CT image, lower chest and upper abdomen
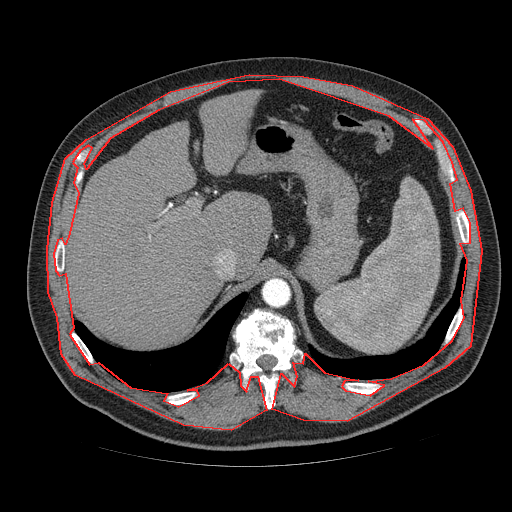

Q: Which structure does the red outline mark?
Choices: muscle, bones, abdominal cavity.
A: red: muscle.
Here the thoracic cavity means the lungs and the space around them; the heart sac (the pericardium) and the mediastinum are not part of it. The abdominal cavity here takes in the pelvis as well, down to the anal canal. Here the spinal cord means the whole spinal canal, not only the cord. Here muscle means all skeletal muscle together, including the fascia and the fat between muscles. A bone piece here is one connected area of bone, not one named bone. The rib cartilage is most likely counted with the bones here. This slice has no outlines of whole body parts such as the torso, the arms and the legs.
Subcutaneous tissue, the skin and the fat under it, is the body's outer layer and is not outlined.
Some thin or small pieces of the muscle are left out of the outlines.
The muscle is outlined by 249 74; 303 76; 352 85; 427 118; 452 146; 470 190; 481 250; 470 346; 444 368; 347 421; 303 420; 272 409; 281 373; 294 386; 297 376; 293 362; 303 363; 305 353; 324 372; 358 380; 344 381; 341 386; 345 390; 370 395; 384 385; 368 381; 391 378; 424 364; 452 340; 464 318; 461 300; 467 260; 460 243; 470 242; 470 222; 463 208; 455 211; 450 183; 457 179; 452 162; 443 142; 424 120; 412 119; 432 148; 389 116; 279 79; 228 82; 158 110; 110 138; 86 169; 84 163; 92 148; 88 145; 80 150; 72 162; 77 167; 73 182; 78 193; 69 233; 65 244; 62 238; 57 240; 53 253; 55 270; 59 275; 65 273; 73 328; 69 334; 89 364; 98 362; 130 387; 167 393; 163 400; 178 406; 199 395; 197 390; 187 390; 207 382; 228 363; 239 372; 240 385; 246 391; 251 376; 257 376; 266 410; 231 430; 183 425; 75 375; 61 354; 57 317; 48 292; 47 249; 52 202; 65 158; 86 139; 170 91. The abdominal cavity is outlined by 246 79; 279 80; 346 99; 403 125; 434 150; 449 183; 463 255; 451 297; 412 345; 351 359; 320 353; 304 341; 294 290; 279 275; 236 295; 192 337; 163 349; 116 347; 73 319; 64 272; 66 241; 85 172; 98 151; 158 111. The bones appear in 9 outlined pieces: piece 1: 255 308; 287 317; 295 328; 297 344; 304 352; 303 362; 292 362; 294 385; 280 373; 282 379; 276 385; 276 403; 271 409; 263 405; 265 391; 258 376; 250 376; 246 390; 241 385; 240 372; 233 370; 228 362; 235 346; 231 331; inner edge: 265 354; 268 354; 269 355; 271 355; 272 356; 273 356; 276 358; 276 362; 275 363; 275 364; 272 367; 271 367; 269 369; 265 369; 264 368; 263 368; 260 365; 259 365; 257 363; 257 359; 258 358; 259 358; 262 355; 264 355; piece 2: 415 117; 417 117; 424 121; 432 129; 434 135; 439 138; 442 142; 447 152; 447 155; 451 162; 453 173; 456 179; 455 181; 450 182; 442 173; 438 159; 436 156; 434 146; 432 142; 423 134; 417 124; 414 121; 413 119; piece 3: 346 381; 359 381; 360 382; 379 382; 383 385; 383 387; 376 392; 374 392; 373 393; 371 393; 370 394; 363 394; 362 393; 358 393; 357 392; 353 392; 352 391; 350 391; 349 390; 347 390; 346 389; 345 389; 342 386; 342 384; piece 4: 88 146; 90 146; 91 148; 90 154; 88 158; 83 163; 83 165; 85 168; 85 171; 84 172; 83 179; 80 185; 80 188; 78 191; 75 186; 75 183; 74 182; 75 180; 75 175; 78 170; 78 167; 73 165; 74 157; 80 151; piece 5: 458 208; 461 208; 463 209; 465 211; 468 217; 468 221; 469 222; 469 230; 470 231; 470 238; 469 239; 469 242; 467 244; 464 244; 462 243; 460 239; 460 236; 459 235; 458 228; 456 225; 456 220; 455 219; 455 212; piece 6: 461 301; 463 303; 463 318; 462 319; 462 321; 455 335; 451 339; 451 340; 446 345; 444 346; 441 346; 441 344; 445 337; 446 332; 451 323; 451 321; 456 311; 458 309; 458 307; piece 7: 193 390; 197 391; 198 392; 198 395; 196 396; 192 400; 188 401; 185 403; 183 403; 182 404; 179 404; 178 405; 174 405; 173 404; 168 404; 164 400; 165 396; 169 393; 174 393; 175 392; 181 392; 182 391; 192 391; piece 8: 59 239; 62 239; 65 245; 65 265; 64 266; 64 270; 63 272; 62 272; 60 274; 59 274; 56 270; 56 268; 55 267; 55 264; 54 263; 54 253; 55 252; 55 248; 56 247; 56 245; piece 9: 73 330; 74 330; 74 331; 82 340; 84 344; 87 347; 87 348; 91 353; 93 358; 96 361; 94 362; 93 365; 89 363; 84 358; 84 357; 80 353; 80 352; 76 347; 71 337; 71 335; 70 334; 71 331. The spinal cord is outlined by 265 354; 268 354; 269 355; 271 355; 272 356; 273 356; 276 358; 276 362; 275 363; 275 364; 272 367; 271 367; 269 369; 265 369; 264 368; 263 368; 260 365; 259 365; 257 363; 257 359; 258 358; 259 358; 262 355; 264 355. The mediastinum is outlined by 270 276; 279 276; 283 278; 292 288; 294 293; 294 304; 297 311; 299 328; 304 339; 300 339; 300 336; 296 332; 296 328; 292 321; 287 316; 278 314; 262 307; 255 307; 235 324; 248 298; 249 295; 248 292; 262 280. The thoracic cavity appears in 2 outlined pieces: piece 1: 243 292; 247 292; 248 295; 229 334; 234 346; 227 356; 227 362; 207 381; 186 390; 168 393; 140 389; 120 381; 104 369; 94 358; 73 327; 73 320; 77 320; 96 338; 116 348; 136 352; 163 350; 182 344; 192 338; 218 310; piece 2: 463 256; 466 260; 466 273; 461 299; 438 349; 421 365; 391 377; 360 381; 358 379; 349 379; 333 375; 324 371; 298 344; 299 336; 300 340; 312 346; 320 354; 341 360; 369 356; 385 356; 412 346; 426 335; 433 322; 452 297.